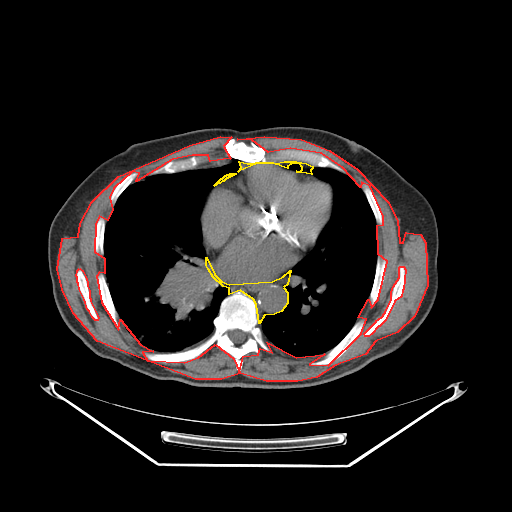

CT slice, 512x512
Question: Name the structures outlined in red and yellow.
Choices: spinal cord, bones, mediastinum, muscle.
Answer: red: muscle; yellow: mediastinum.
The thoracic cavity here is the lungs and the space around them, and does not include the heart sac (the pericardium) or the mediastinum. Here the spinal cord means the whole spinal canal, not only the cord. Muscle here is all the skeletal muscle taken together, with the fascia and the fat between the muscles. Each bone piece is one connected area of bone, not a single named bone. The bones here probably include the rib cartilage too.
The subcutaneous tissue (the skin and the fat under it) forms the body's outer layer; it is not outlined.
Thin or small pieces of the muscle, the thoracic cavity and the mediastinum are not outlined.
The muscle is outlined by 220 136; 231 137; 223 146; 230 158; 210 161; 208 155; 192 155; 172 159; 136 181; 139 173; 132 171; 113 188; 109 197; 112 209; 107 220; 99 216; 95 223; 94 251; 104 258; 104 273; 99 272; 96 276; 101 302; 118 329; 120 319; 140 344; 153 351; 142 352; 147 360; 184 362; 198 357; 215 344; 233 358; 239 372; 243 356; 258 354; 260 348; 272 352; 267 342; 296 357; 324 354; 309 364; 328 365; 361 333; 366 319; 358 317; 368 299; 371 307; 378 299; 387 261; 378 254; 377 225; 383 224; 383 216; 370 186; 361 182; 360 187; 342 167; 321 153; 290 148; 268 152; 252 140; 237 139; 264 136; 301 139; 329 150; 357 169; 387 201; 397 220; 399 242; 403 242; 406 232; 420 234; 425 242; 427 285; 414 316; 397 332; 375 341; 365 354; 335 365; 316 377; 297 381; 266 381; 240 373; 221 379; 195 379; 97 341; 73 313; 62 289; 57 269; 62 238; 78 236; 80 223; 92 201; 118 176; 189 145, around holes outlined by 400 266; 403 266; 405 269; 403 289; 402 290; 401 296; 394 301; 385 320; 379 326; 378 326; 371 334; 368 336; 365 336; 364 333; 376 321; 376 320; 381 317; 385 312; 391 299; 391 292; 393 286; 399 277; 399 267 and by 79 268; 82 270; 85 276; 87 282; 87 286; 89 290; 89 297; 90 298; 90 301; 97 315; 98 318; 97 320; 95 320; 92 317; 89 311; 87 309; 84 299; 79 289; 78 283; 77 282; 77 277; 76 276; 77 270. The mediastinum appears in 3 outlined pieces: piece 1: 206 257; 214 274; 221 281; 229 284; 272 281; 283 276; 290 270; 287 284; 283 287; 287 292; 287 303; 281 311; 274 314; 264 315; 259 323; 256 304; 253 299; 240 290; 229 294; 229 288; 223 286; 213 277; 208 269; 206 265; piece 2: 239 161; 247 163; 255 163; 256 162; 275 163; 284 161; 296 161; 306 163; 312 166; 312 168; 310 170; 311 174; 296 171; 300 171; 302 169; 302 167; 299 163; 290 164; 287 166; 287 168; 273 163; 257 163; 238 171; 241 167; piece 3: 230 173; 235 173; 235 174; 234 174; 233 175; 232 175; 231 176; 230 176; 229 177; 228 177; 227 178; 226 178; 223 181; 222 181; 219 183; 217 183; 215 185; 214 185; 221 178; 222 178; 225 175; 226 175; 227 174; 229 174. The pericardium is outlined by 257 164; 278 165; 296 172; 310 174; 323 181; 328 187; 332 196; 331 213; 318 235; 313 247; 283 275; 276 279; 267 281; 237 283; 225 282; 215 274; 211 265; 208 262; 202 242; 200 215; 206 197; 214 186; 235 175; 236 173. The bones appear in 11 outlined pieces: piece 1: 237 291; 245 293; 254 302; 258 325; 271 352; 260 347; 258 353; 249 352; 243 355; 239 371; 236 369; 234 358; 218 348; 215 343; 198 356; 184 361; 155 362; 143 355; 143 352; 177 352; 201 343; 213 332; 213 320; 223 299; inner edge: 235 329; 239 329; 240 330; 241 330; 243 332; 244 332; 246 334; 246 339; 242 343; 241 343; 240 344; 235 344; 231 340; 231 339; 229 337; 229 331; 230 331; 231 330; 234 330; piece 2: 231 138; 235 138; 238 141; 243 141; 246 143; 252 141; 258 146; 262 147; 268 153; 278 150; 290 149; 305 150; 321 154; 342 168; 345 173; 331 167; 313 166; 306 162; 296 160; 247 162; 231 158; 226 154; 224 148; 227 141; piece 3: 360 318; 364 318; 365 319; 364 324; 362 327; 362 329; 360 333; 355 339; 353 343; 339 357; 328 364; 323 364; 322 365; 311 365; 310 364; 310 363; 313 361; 316 361; 317 360; 321 359; 327 352; 333 348; 348 333; 356 321; piece 4: 192 156; 208 156; 210 158; 209 161; 202 163; 193 169; 188 169; 187 170; 184 170; 179 172; 175 172; 174 173; 158 173; 157 174; 149 175; 149 173; 151 171; 161 167; 169 161; 172 160; 173 161; 174 160; 186 159; piece 5: 400 266; 403 266; 405 269; 403 289; 402 290; 401 296; 394 301; 385 320; 379 326; 378 326; 371 334; 368 336; 365 336; 364 333; 376 321; 376 320; 381 317; 385 312; 391 299; 391 292; 393 286; 399 277; 399 267; piece 6: 99 273; 102 273; 104 274; 105 276; 106 282; 108 286; 108 289; 109 290; 114 307; 119 317; 118 319; 118 322; 120 325; 120 327; 119 328; 118 328; 112 321; 102 302; 102 300; 99 293; 99 290; 97 286; 97 276; piece 7: 378 255; 380 255; 383 257; 386 261; 386 264; 385 265; 385 274; 381 286; 381 289; 379 292; 377 299; 375 303; 371 306; 369 302; 369 295; 375 277; 376 263; 377 262; 377 257; piece 8: 79 268; 82 270; 85 276; 87 282; 87 286; 89 290; 89 297; 90 298; 90 301; 97 315; 98 318; 97 320; 95 320; 92 317; 89 311; 87 309; 84 299; 79 289; 78 283; 77 282; 77 277; 76 276; 77 270; piece 9: 132 172; 137 172; 138 173; 137 176; 134 179; 134 180; 120 194; 120 195; 117 198; 114 205; 113 206; 112 205; 111 205; 111 204; 110 203; 110 197; 111 196; 111 194; 112 193; 114 188; 119 182; 119 181; 124 176; 125 176; piece 10: 361 183; 365 183; 367 184; 371 189; 375 197; 375 199; 378 204; 378 206; 379 207; 379 209; 381 212; 381 215; 382 216; 382 224; 381 225; 379 225; 377 224; 376 222; 376 220; 375 219; 374 214; 372 211; 372 209; 361 187; piece 11: 99 217; 103 217; 105 220; 105 228; 104 229; 104 233; 103 234; 103 255; 102 255; 101 256; 99 256; 96 254; 96 252; 95 251; 95 241; 94 240; 94 236; 95 235; 95 227; 96 226; 96 223; 97 222; 97 220. The torso is outlined by 274 126; 314 127; 352 139; 386 161; 425 196; 433 209; 438 229; 438 289; 423 322; 393 352; 353 373; 307 387; 194 386; 175 380; 156 379; 94 353; 60 316; 48 268; 49 227; 71 192; 100 163; 133 143; 202 128; 252 130. The spinal cord is outlined by 235 329; 239 329; 240 330; 241 330; 243 332; 244 332; 246 334; 246 339; 242 343; 241 343; 240 344; 235 344; 231 340; 231 339; 229 337; 229 331; 230 331; 231 330; 234 330. The thoracic cavity appears in 2 outlined pieces: piece 1: 229 159; 237 160; 239 169; 225 174; 209 189; 199 215; 205 265; 229 293; 220 302; 212 320; 213 330; 205 339; 177 351; 154 351; 128 331; 115 307; 105 275; 106 222; 118 198; 132 183; 152 175; 179 173; 208 162; piece 2: 313 167; 331 168; 346 174; 362 190; 376 223; 377 256; 368 298; 347 333; 325 353; 296 356; 266 341; 259 324; 264 316; 284 309; 288 303; 288 292; 284 287; 288 284; 292 268; 314 247; 331 216; 333 189; 329 183; 312 174.